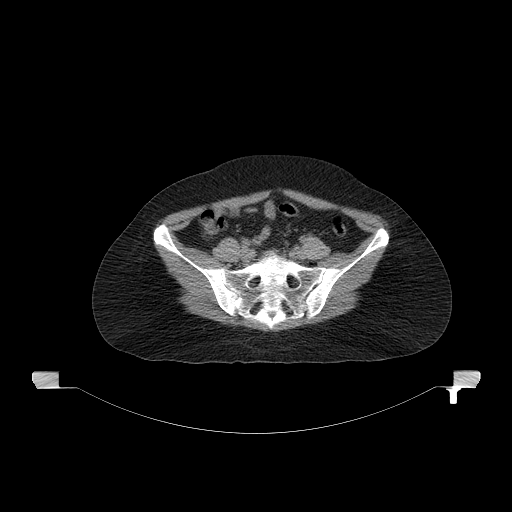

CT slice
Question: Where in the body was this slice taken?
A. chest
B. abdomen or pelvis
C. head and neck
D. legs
Answer: B. abdomen or pelvis
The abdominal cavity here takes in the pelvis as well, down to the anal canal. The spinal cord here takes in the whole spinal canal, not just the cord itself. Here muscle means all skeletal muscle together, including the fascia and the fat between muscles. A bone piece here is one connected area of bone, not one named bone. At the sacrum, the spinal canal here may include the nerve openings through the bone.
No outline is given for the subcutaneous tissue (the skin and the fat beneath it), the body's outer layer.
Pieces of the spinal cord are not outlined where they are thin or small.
Outlined structures:
abdominal cavity: 274 193; 352 218; 367 236; 351 251; 332 254; 329 245; 313 236; 305 252; 319 261; 316 265; 301 264; 268 248; 249 264; 230 268; 226 263; 240 256; 240 246; 233 237; 222 238; 210 254; 186 245; 177 235; 208 208; 239 208
torso: 257 153; 301 154; 333 162; 367 185; 384 193; 405 210; 438 253; 451 284; 450 319; 445 331; 436 342; 417 353; 379 361; 194 364; 142 359; 115 349; 103 339; 93 318; 91 292; 99 264; 112 242; 142 206; 166 186; 229 159
spinal cord 1: 289 274; 290 274; 294 278; 295 278; 299 282; 299 284; 296 287; 290 287; 289 286; 289 285; 288 284; 288 282; 287 281; 287 277; 288 276; 288 275
spinal cord 2: 256 276; 258 276; 259 277; 259 280; 258 281; 258 282; 254 286; 251 286; 250 285; 250 284; 249 283; 249 282; 252 279; 253 279
spinal cord 3: 258 301; 260 301; 261 302; 261 304; 258 307; 257 307; 254 310; 254 311; 253 312; 251 312; 250 311; 250 310; 251 309; 251 308; 253 306; 253 305; 256 302; 257 302
spinal cord 4: 283 302; 284 302; 286 304; 286 305; 287 306; 287 307; 290 310; 290 311; 291 312; 291 313; 290 314; 288 314; 287 313; 287 312; 284 309; 284 308; 283 307; 283 306; 282 305; 282 303
muscle: 277 187; 288 188; 289 189; 300 191; 306 194; 309 194; 314 197; 318 197; 336 204; 344 205; 351 208; 356 208; 364 211; 368 211; 372 213; 375 213; 380 215; 388 222; 391 228; 390 242; 387 246; 386 250; 383 253; 381 259; 378 262; 370 280; 368 282; 365 283; 359 289; 360 291; 360 298; 358 301; 358 304; 350 311; 336 316; 333 318; 325 320; 322 322; 319 322; 315 324; 310 324; 305 326; 298 326; 294 328; 290 328; 285 330; 267 331; 266 332; 258 329; 253 329; 244 326; 229 326; 228 325; 225 325; 219 322; 187 312; 184 309; 183 306; 177 300; 177 297; 179 295; 178 289; 180 286; 175 280; 168 274; 161 258; 158 255; 157 251; 153 246; 152 243; 152 229; 154 226; 154 224; 160 218; 162 218; 170 213; 176 212; 182 209; 187 209; 198 205; 210 203; 218 200; 222 200; 226 198; 230 198; 235 196; 247 195; 250 193; 253 193; 262 190; 266 190; 267 189; 271 189; 272 188; 276 188, around a hole outlined by 274 193; 337 210; 367 233; 333 254; 311 237; 305 252; 317 266; 347 265; 378 228; 389 241; 336 280; 316 315; 270 329; 224 311; 207 278; 155 244; 153 230; 165 224; 197 265; 229 269; 236 239; 210 254; 177 233; 208 208
bones: 162 223; 178 250; 203 268; 240 269; 268 249; 275 249; 304 266; 341 268; 363 252; 378 228; 387 231; 389 241; 358 260; 336 280; 316 315; 309 319; 305 316; 288 319; 270 329; 264 323; 224 311; 199 270; 155 244; 153 230; inner edges: 289 274; 290 274; 294 278; 295 278; 299 282; 299 284; 296 287; 290 287; 289 286; 289 285; 288 284; 288 282; 287 281; 287 277; 288 276; 288 275, then 256 276; 258 276; 259 277; 259 280; 258 281; 258 282; 254 286; 251 286; 250 285; 250 284; 249 283; 249 282; 252 279; 253 279, then 258 301; 260 301; 261 302; 261 304; 258 307; 257 307; 254 310; 254 311; 253 312; 251 312; 250 311; 250 310; 251 309; 251 308; 253 306; 253 305; 256 302; 257 302, then 283 302; 284 302; 286 304; 286 305; 287 306; 287 307; 290 310; 290 311; 291 312; 291 313; 290 314; 288 314; 287 313; 287 312; 284 309; 284 308; 283 307; 283 306; 282 305; 282 303